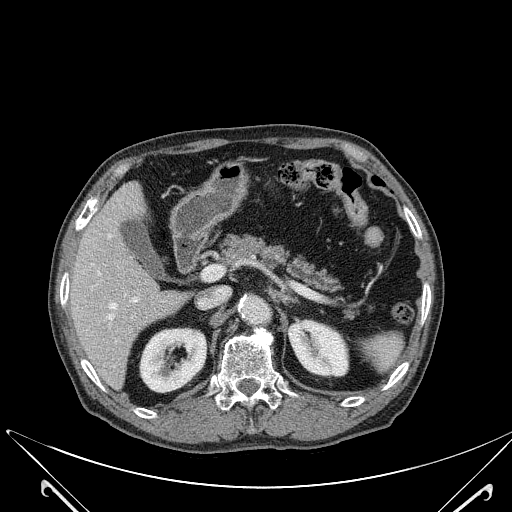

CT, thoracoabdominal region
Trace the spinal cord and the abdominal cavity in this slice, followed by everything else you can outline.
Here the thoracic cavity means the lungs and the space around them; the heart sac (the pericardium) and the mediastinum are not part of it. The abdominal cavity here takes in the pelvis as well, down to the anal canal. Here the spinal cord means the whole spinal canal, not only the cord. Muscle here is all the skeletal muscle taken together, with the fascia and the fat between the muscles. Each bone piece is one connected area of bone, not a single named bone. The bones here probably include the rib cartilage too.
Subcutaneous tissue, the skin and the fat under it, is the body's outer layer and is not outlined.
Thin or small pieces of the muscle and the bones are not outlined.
{"spinal_cord":[[[244,379],[253,379],[256,382],[257,382],[259,384],[259,386],[258,387],[258,388],[253,393],[252,393],[249,395],[248,395],[247,394],[245,394],[243,392],[242,392],[240,390],[239,390],[237,387],[237,383],[238,382],[239,382],[240,381],[241,381]]],"abdominal_cavity":[[[243,142],[333,147],[389,188],[421,261],[419,316],[409,344],[383,383],[360,391],[326,390],[302,384],[277,365],[274,335],[255,326],[226,337],[218,370],[193,388],[168,403],[136,405],[106,387],[76,338],[68,299],[78,241],[110,190],[146,158]]],"muscle":[{"outer":[[266,137],[319,137],[320,138],[330,137],[331,138],[340,138],[344,140],[350,141],[365,148],[371,152],[388,169],[402,186],[420,216],[429,235],[431,244],[431,250],[433,254],[435,275],[436,276],[434,284],[435,288],[434,289],[434,304],[432,308],[432,318],[429,325],[427,339],[420,362],[414,375],[411,378],[408,384],[397,396],[392,399],[382,409],[344,432],[324,439],[320,440],[298,440],[289,437],[271,437],[265,434],[264,435],[258,435],[257,434],[245,435],[242,437],[238,437],[227,442],[185,443],[184,442],[176,442],[163,439],[158,436],[150,434],[141,429],[139,429],[125,420],[116,416],[98,401],[91,398],[85,391],[84,387],[80,381],[80,379],[72,362],[71,357],[68,352],[63,332],[60,328],[60,325],[58,321],[58,316],[56,313],[56,307],[54,300],[55,280],[59,264],[61,243],[63,237],[71,218],[86,194],[105,171],[114,162],[120,159],[132,155],[137,155],[149,150],[154,150],[174,145],[180,145],[208,138],[222,138],[223,139],[232,140],[233,139],[265,138]],"holes":[[[243,142],[341,151],[342,143],[349,143],[367,158],[357,162],[411,211],[422,233],[421,239],[415,239],[421,280],[429,283],[431,302],[423,325],[417,318],[403,355],[409,366],[385,390],[380,383],[360,391],[338,391],[302,384],[273,358],[274,368],[301,396],[283,393],[273,410],[263,400],[250,410],[240,402],[227,411],[220,409],[212,395],[204,395],[208,377],[170,402],[148,407],[157,417],[141,417],[131,409],[135,404],[107,387],[107,392],[101,390],[81,366],[84,354],[69,306],[61,306],[59,294],[62,275],[70,272],[83,231],[75,229],[75,220],[89,198],[99,194],[98,206],[124,177],[125,173],[112,177],[121,164],[129,164],[129,171],[150,156]],[[355,395],[363,395],[365,397],[365,400],[363,402],[362,402],[360,404],[359,404],[358,405],[357,405],[356,406],[341,406],[340,405],[340,402],[343,399],[344,399],[346,397],[348,397],[349,396],[354,396]]]}],"torso":[[[269,123],[307,124],[357,134],[373,143],[417,194],[436,233],[444,270],[443,310],[423,378],[407,407],[388,427],[320,448],[266,448],[200,454],[164,448],[127,435],[84,409],[55,346],[47,291],[52,252],[62,221],[94,170],[121,148],[177,131]]],"thoracic_cavity":[[[374,175],[375,175],[376,176],[377,176],[384,183],[384,185],[380,185],[379,184],[377,184],[376,183],[375,183],[374,182],[374,181],[373,180],[373,177],[374,176]]],"bones":[{"outer":[[255,327],[263,327],[273,335],[273,366],[288,381],[288,386],[301,397],[283,393],[280,404],[273,410],[263,400],[258,400],[250,410],[240,402],[236,402],[227,411],[222,410],[212,395],[204,395],[210,377],[219,370],[223,341],[235,334],[250,334]],"hole":[[244,379],[253,379],[256,382],[257,382],[259,384],[259,386],[258,387],[258,388],[253,393],[252,393],[249,395],[248,395],[247,394],[245,394],[243,392],[242,392],[240,390],[239,390],[237,387],[237,383],[238,382],[239,382],[240,381],[241,381]]},[[97,194],[99,194],[99,201],[97,204],[97,209],[96,211],[91,216],[90,219],[88,221],[86,225],[82,229],[77,231],[75,229],[75,220],[80,214],[87,200],[92,196],[94,196]],[[424,281],[427,281],[429,283],[429,285],[430,286],[430,290],[431,291],[431,302],[430,303],[429,311],[427,314],[425,321],[423,325],[421,326],[420,325],[420,316],[421,315],[421,313],[420,312],[420,308],[421,307],[422,286],[423,285],[423,282]],[[403,204],[404,204],[411,211],[411,212],[415,217],[420,227],[420,229],[422,233],[422,238],[421,239],[418,239],[416,238],[412,233],[410,229],[410,227],[408,223],[406,221],[404,217],[404,214],[402,211],[402,206],[401,205]],[[403,361],[409,361],[409,366],[408,367],[406,372],[404,374],[404,375],[393,385],[392,385],[390,387],[389,387],[387,389],[386,389],[385,390],[382,390],[381,389],[382,386],[388,380],[390,375],[394,371],[394,370]],[[83,357],[84,357],[92,366],[93,369],[97,374],[99,379],[105,386],[105,387],[107,390],[107,392],[104,392],[102,390],[101,390],[90,379],[90,378],[84,371],[84,370],[82,368],[82,367],[81,366],[81,364],[80,363],[80,359]],[[65,271],[67,271],[69,273],[69,290],[68,291],[68,298],[67,299],[67,303],[64,307],[62,307],[61,306],[61,304],[60,303],[60,295],[59,294],[59,291],[60,290],[60,283],[61,282],[61,279],[62,278],[62,275]],[[343,142],[346,142],[347,143],[349,143],[352,146],[353,146],[358,150],[361,151],[366,156],[367,158],[366,160],[362,162],[360,161],[357,161],[355,159],[354,159],[354,158],[352,157],[349,154],[346,153],[342,149],[342,146],[341,145]],[[135,406],[140,406],[141,407],[144,407],[148,409],[151,409],[152,410],[154,410],[157,412],[157,417],[155,418],[144,418],[143,417],[141,417],[137,415],[134,412],[132,411],[131,408]],[[355,395],[363,395],[365,397],[365,400],[363,402],[362,402],[360,404],[359,404],[358,405],[357,405],[356,406],[341,406],[340,405],[340,402],[343,399],[344,399],[346,397],[348,397],[349,396],[354,396]],[[121,164],[129,164],[129,168],[128,169],[128,170],[125,173],[124,173],[122,175],[120,175],[119,176],[118,176],[117,177],[115,177],[114,178],[113,178],[112,177],[112,174],[113,173],[113,171],[114,170],[114,169],[115,169],[119,165],[120,165]]]}